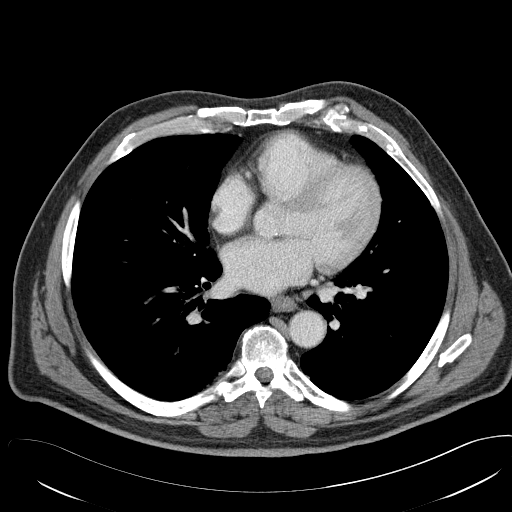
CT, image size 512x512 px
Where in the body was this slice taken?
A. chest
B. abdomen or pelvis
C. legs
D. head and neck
Answer: A. chest
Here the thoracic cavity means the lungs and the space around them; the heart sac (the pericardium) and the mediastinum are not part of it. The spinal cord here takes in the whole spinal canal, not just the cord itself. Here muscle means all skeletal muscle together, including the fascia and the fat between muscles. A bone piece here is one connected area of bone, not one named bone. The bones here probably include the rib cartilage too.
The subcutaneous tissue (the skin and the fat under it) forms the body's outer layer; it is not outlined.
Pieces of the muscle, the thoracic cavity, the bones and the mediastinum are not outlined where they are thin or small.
Outlined structures:
pericardium: 280 129; 303 130; 365 160; 375 176; 382 200; 378 225; 371 239; 360 255; 331 281; 317 286; 310 285; 294 289; 289 288; 267 294; 246 289; 229 276; 216 250; 208 226; 208 220; 212 196; 218 184; 231 167; 256 139; 270 131
muscle: 338 94; 353 98; 392 124; 405 137; 425 165; 439 193; 450 205; 466 238; 473 274; 480 284; 485 280; 499 298; 505 316; 504 334; 487 366; 477 377; 447 394; 390 417; 322 427; 305 438; 274 432; 261 422; 244 437; 217 438; 203 434; 194 425; 160 424; 128 417; 88 400; 40 373; 30 339; 32 288; 36 273; 45 267; 48 247; 66 201; 86 166; 130 122; 172 105; 191 102; 203 106; 193 113; 127 133; 106 160; 106 166; 90 186; 82 203; 77 198; 66 218; 61 238; 60 270; 64 285; 70 289; 82 331; 97 354; 87 347; 84 349; 94 369; 112 390; 134 407; 168 418; 194 411; 218 397; 229 403; 250 391; 254 392; 261 409; 273 390; 278 389; 296 402; 306 399; 330 411; 346 413; 354 409; 350 402; 377 395; 398 381; 386 398; 391 400; 406 390; 439 351; 451 319; 451 309; 445 303; 449 258; 438 217; 443 214; 442 207; 434 188; 392 136; 378 125; 349 117; 350 109; 343 102; 329 105; 324 97; inner edge: 465 333; 469 333; 471 335; 471 342; 469 344; 469 345; 452 362; 447 362; 445 363; 441 367; 438 367; 437 366; 437 363; 438 362; 438 359; 439 358; 439 354; 441 352; 444 351; 450 345; 451 345; 457 338; 458 338
thoracic cavity 1: 214 133; 240 140; 211 196; 209 241; 223 268; 227 297; 260 296; 268 301; 269 311; 265 319; 242 330; 237 340; 239 355; 210 384; 181 399; 160 400; 120 379; 98 355; 80 324; 71 280; 81 207; 101 172; 140 145; 164 136
thoracic cavity 2: 355 135; 363 136; 381 148; 427 199; 444 236; 448 278; 437 323; 411 366; 387 389; 361 400; 348 401; 319 387; 295 361; 318 346; 327 333; 328 322; 307 304; 307 299; 324 291; 361 255; 379 225; 383 200; 380 186; 351 142
mediastinum 1: 223 270; 244 289; 267 295; 331 282; 305 301; 327 322; 322 341; 304 352; 297 361; 289 355; 288 343; 277 329; 268 324; 255 324; 244 331; 238 347; 243 330; 268 317; 270 303; 265 297; 251 293; 228 297; 230 290; 222 277
mediastinum 2: 292 122; 307 129; 324 129; 335 133; 357 134; 351 138; 350 142; 363 158; 303 129; 280 128; 270 130; 260 135; 250 143; 219 182; 225 163; 241 140; 237 135; 217 132; 219 130; 228 130; 232 126; 248 127; 260 124; 284 126
bones 1: 255 325; 277 330; 301 371; 319 388; 352 405; 346 412; 306 398; 296 401; 275 388; 261 408; 250 390; 229 402; 218 396; 180 415; 158 416; 134 406; 112 389; 85 350; 136 391; 172 402; 201 391; 226 371; 240 355; 243 334, around a hole outlined by 261 367; 267 367; 268 368; 269 368; 271 370; 271 371; 272 372; 272 377; 271 378; 271 379; 268 382; 267 382; 266 383; 263 383; 258 378; 257 378; 257 377; 255 375; 255 372; 256 371; 256 370; 257 369; 258 369
bones 2: 310 98; 324 98; 329 106; 343 103; 349 109; 349 118; 378 126; 392 137; 433 188; 441 207; 439 216; 412 178; 369 138; 353 132; 307 128; 293 121; 158 136; 106 163; 127 134; 193 114; 199 107; 277 108; 288 101
bones 3: 445 304; 450 309; 450 319; 449 320; 449 323; 445 335; 438 349; 438 351; 422 373; 406 389; 391 399; 387 398; 387 395; 399 385; 400 383; 400 379; 412 366; 423 351; 438 323; 438 321; 440 318; 440 316; 442 313
bones 4: 77 199; 79 199; 81 201; 81 206; 80 207; 79 217; 77 222; 77 228; 75 233; 75 241; 73 246; 73 256; 71 263; 70 288; 68 288; 64 283; 62 271; 61 270; 61 247; 62 246; 63 231; 67 221; 67 218; 72 206
bones 5: 465 333; 469 333; 471 335; 471 342; 469 344; 469 345; 452 362; 447 362; 445 363; 441 367; 438 367; 437 366; 437 363; 438 362; 438 359; 439 358; 439 354; 441 352; 444 351; 450 345; 451 345; 457 338; 458 338
spinal cord: 261 367; 267 367; 268 368; 269 368; 271 370; 271 371; 272 372; 272 377; 271 378; 271 379; 268 382; 267 382; 266 383; 263 383; 258 378; 257 378; 257 377; 255 375; 255 372; 256 371; 256 370; 257 369; 258 369
torso: 329 80; 360 83; 403 104; 467 188; 511 269; 511 379; 505 387; 492 397; 383 440; 333 452; 277 458; 211 456; 151 446; 104 431; 41 402; 19 398; 7 377; 18 255; 50 188; 94 128; 117 108; 165 91; 194 89; 262 97